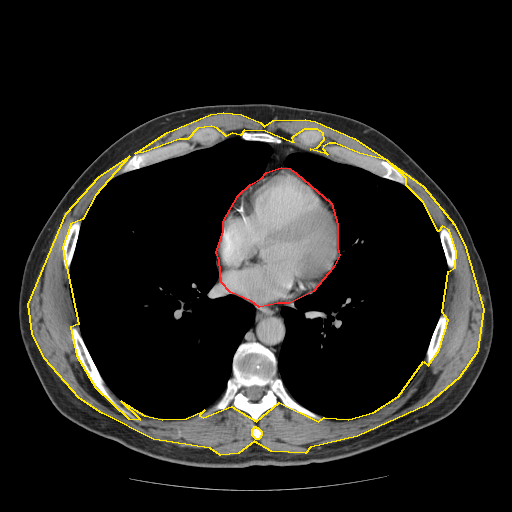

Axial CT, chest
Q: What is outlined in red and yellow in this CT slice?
A: red: pericardium; yellow: muscle.
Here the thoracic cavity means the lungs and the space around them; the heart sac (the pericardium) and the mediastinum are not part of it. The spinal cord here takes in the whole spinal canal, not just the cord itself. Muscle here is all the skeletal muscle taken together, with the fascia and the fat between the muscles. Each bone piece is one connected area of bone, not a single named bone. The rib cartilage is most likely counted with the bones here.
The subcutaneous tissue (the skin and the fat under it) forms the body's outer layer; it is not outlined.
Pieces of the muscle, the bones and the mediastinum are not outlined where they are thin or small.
Outlined structures:
pericardium: (281, 167) (289, 168) (295, 172) (331, 203) (337, 224) (337, 247) (339, 255) (333, 267) (313, 291) (289, 303) (277, 303) (259, 307) (251, 301) (230, 292) (221, 282) (219, 260) (216, 252) (223, 231) (223, 221) (238, 195) (250, 184) (261, 178) (266, 172)
muscle 1: (129, 156) (95, 195) (82, 219) (70, 224) (62, 247) (78, 324) (70, 327) (76, 355) (95, 387) (128, 418) (140, 419) (121, 401) (144, 415) (162, 419) (186, 418) (204, 410) (199, 415) (203, 417) (231, 406) (256, 421) (279, 402) (318, 421) (324, 417) (348, 419) (373, 412) (398, 396) (423, 361) (428, 365) (439, 349) (448, 320) (442, 312) (448, 271) (455, 267) (456, 251) (449, 230) (442, 226) (438, 231) (423, 202) (406, 185) (406, 178) (388, 161) (423, 186) (454, 224) (465, 247) (483, 309) (477, 351) (459, 377) (426, 405) (357, 436) (310, 447) (305, 453) (271, 451) (254, 441) (238, 453) (220, 455) (210, 448) (153, 439) (102, 413) (79, 398) (44, 358) (32, 333) (28, 304) (66, 213) (99, 176) with a hole at (254, 426) (255, 426) (256, 427) (257, 427) (261, 431) (261, 435) (260, 436) (260, 437) (258, 439) (256, 439) (252, 435) (252, 429) (254, 427)
muscle 2: (223, 112) (241, 114) (260, 122) (264, 126) (273, 120) (305, 119) (315, 121) (354, 138) (387, 160) (359, 153) (335, 143) (329, 143) (323, 146) (322, 148) (327, 154) (310, 149) (317, 147) (324, 139) (323, 133) (317, 129) (304, 129) (293, 136) (291, 138) (293, 142) (291, 142) (265, 131) (244, 130) (240, 135) (232, 133) (226, 136) (217, 128) (211, 126) (197, 128) (187, 139) (179, 139) (143, 152) (135, 153) (167, 132) (210, 114)
mediastinum 1: (295, 300) (296, 300) (294, 302) (294, 307) (283, 306) (280, 310) (285, 326) (285, 335) (277, 359) (275, 354) (270, 349) (257, 341) (248, 341) (241, 343) (245, 334) (253, 325) (255, 320) (255, 307) (253, 304) (259, 308) (265, 308) (277, 304) (289, 304)
mediastinum 2: (283, 139) (285, 139) (301, 148) (313, 150) (327, 155) (331, 158) (320, 154) (304, 151) (293, 152) (290, 153) (285, 159) (285, 164) (288, 167) (285, 166) (276, 167) (268, 170) (264, 173) (266, 164) (270, 159) (272, 153) (272, 149) (267, 143) (280, 144) (283, 141)
spinal cord: (254, 385) (255, 385) (256, 386) (259, 386) (260, 387) (263, 387) (264, 388) (264, 393) (259, 400) (258, 400) (257, 401) (250, 401) (249, 400) (249, 399) (245, 395) (245, 390) (246, 389) (246, 388) (247, 388) (248, 387) (250, 387) (251, 386) (253, 386)
bones 1: (248, 342) (257, 342) (274, 354) (277, 360) (277, 374) (287, 391) (299, 404) (322, 416) (322, 420) (308, 417) (294, 409) (288, 408) (280, 401) (263, 412) (256, 420) (247, 412) (231, 405) (225, 409) (200, 416) (224, 392) (227, 382) (232, 376) (234, 354) (240, 344), around a hole outlined by (254, 385) (255, 385) (256, 386) (259, 386) (260, 387) (263, 387) (264, 388) (264, 393) (259, 400) (258, 400) (257, 401) (250, 401) (249, 400) (249, 399) (245, 395) (245, 390) (246, 389) (246, 388) (247, 388) (248, 387) (250, 387) (251, 386) (253, 386)
bones 2: (204, 127) (215, 128) (221, 132) (225, 137) (220, 141) (218, 141) (210, 146) (197, 147) (187, 153) (175, 157) (167, 158) (149, 165) (146, 165) (143, 167) (119, 174) (119, 171) (132, 156) (135, 154) (143, 153) (151, 149) (161, 147) (179, 140) (187, 140) (194, 131)
bones 3: (329, 144) (335, 144) (359, 154) (372, 156) (377, 159) (387, 161) (390, 164) (394, 166) (402, 174) (406, 180) (406, 183) (405, 184) (402, 184) (399, 182) (377, 175) (371, 171) (359, 166) (346, 163) (342, 161) (338, 161) (330, 157) (323, 148) (324, 146)
bones 4: (72, 326) (75, 326) (78, 328) (79, 333) (91, 357) (91, 359) (105, 384) (109, 388) (115, 398) (120, 402) (121, 405) (122, 406) (125, 406) (132, 414) (139, 419) (139, 421) (136, 421) (121, 412) (101, 393) (92, 382) (84, 370) (74, 347) (71, 338) (71, 327)
bones 5: (76, 220) (80, 220) (81, 223) (79, 227) (79, 231) (78, 232) (78, 235) (75, 244) (75, 248) (73, 252) (73, 256) (69, 266) (69, 269) (67, 270) (65, 269) (64, 267) (64, 263) (63, 262) (63, 247) (64, 246) (64, 241) (69, 227) (71, 224)
bones 6: (442, 313) (445, 313) (447, 315) (446, 327) (436, 353) (434, 355) (431, 361) (428, 364) (426, 364) (424, 361) (424, 359) (426, 355) (426, 352) (427, 351) (429, 343) (431, 340) (433, 332) (437, 324) (437, 322)
bones 7: (304, 130) (317, 130) (322, 133) (323, 135) (323, 139) (321, 141) (321, 142) (317, 146) (315, 147) (310, 147) (309, 148) (305, 148) (304, 147) (301, 147) (297, 145) (295, 143) (294, 143) (294, 141) (292, 138) (293, 137) (295, 137) (298, 133)
bones 8: (442, 227) (445, 227) (448, 230) (453, 241) (453, 245) (454, 246) (454, 250) (455, 251) (455, 263) (454, 264) (454, 267) (451, 269) (450, 268) (448, 268) (446, 258) (445, 257) (445, 254) (443, 250) (443, 247) (442, 246) (440, 236) (439, 235) (439, 231)
bones 9: (244, 131) (247, 131) (248, 132) (265, 132) (266, 133) (269, 133) (272, 135) (274, 135) (275, 136) (277, 136) (279, 137) (282, 140) (282, 141) (280, 143) (275, 143) (274, 142) (264, 142) (263, 141) (258, 141) (257, 140) (246, 140) (241, 137) (241, 134) (242, 132)
thoracic cavity 1: (229, 137) (263, 142) (271, 149) (261, 177) (245, 187) (228, 207) (215, 252) (220, 282) (231, 294) (253, 305) (254, 320) (233, 354) (231, 376) (213, 404) (181, 418) (150, 416) (128, 406) (112, 392) (80, 333) (69, 271) (80, 227) (96, 195) (118, 175) (210, 147)
thoracic cavity 2: (299, 152) (353, 165) (405, 185) (422, 202) (437, 230) (448, 269) (441, 313) (417, 372) (391, 401) (356, 417) (328, 417) (312, 411) (291, 395) (278, 374) (278, 358) (286, 335) (282, 308) (294, 308) (297, 300) (310, 295) (340, 255) (332, 203) (286, 164) (290, 154)
torso: (244, 103) (321, 110) (377, 129) (433, 179) (460, 213) (484, 266) (494, 325) (490, 351) (476, 382) (444, 419) (340, 460) (303, 466) (201, 468) (158, 460) (87, 431) (62, 415) (48, 398) (26, 353) (18, 320) (24, 266) (45, 222) (86, 167) (136, 126) (180, 109)